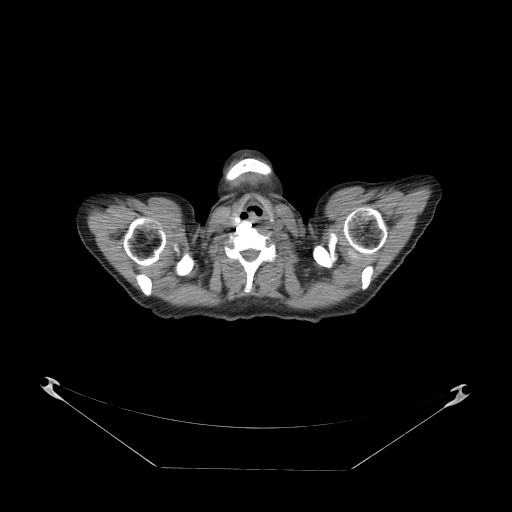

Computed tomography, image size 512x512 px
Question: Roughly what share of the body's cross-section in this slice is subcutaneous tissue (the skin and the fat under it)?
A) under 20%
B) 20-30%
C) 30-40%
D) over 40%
Answer: B) 20-30%
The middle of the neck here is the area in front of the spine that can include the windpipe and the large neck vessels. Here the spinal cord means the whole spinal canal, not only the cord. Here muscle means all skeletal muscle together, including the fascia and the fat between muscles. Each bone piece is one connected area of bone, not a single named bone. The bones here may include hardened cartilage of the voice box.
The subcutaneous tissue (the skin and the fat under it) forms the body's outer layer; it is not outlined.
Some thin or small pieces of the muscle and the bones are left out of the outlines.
The left arm is outlined by [[418,172],[434,173],[442,183],[443,194],[436,207],[433,219],[418,240],[413,250],[405,258],[403,263],[387,281],[385,283],[383,283],[360,267],[353,260],[342,244],[329,211],[328,189],[338,183],[350,180],[375,182],[390,180],[397,177],[405,176]]. The torso appears in 2 outlined pieces: piece 1: [[156,190],[179,194],[187,199],[193,206],[195,216],[200,221],[198,276],[203,294],[212,308],[236,320],[226,321],[205,316],[193,316],[180,319],[160,318],[154,315],[148,309],[138,305],[123,289],[139,272],[154,244],[157,235],[157,214],[152,191]]; piece 2: [[327,189],[328,211],[341,244],[352,260],[360,268],[384,284],[376,295],[365,306],[353,314],[325,318],[317,323],[305,320],[280,319],[276,317],[271,317],[277,312],[286,301],[301,276],[306,252],[306,221],[310,214],[312,213],[317,200]]. The bones appear in 9 outlined pieces: piece 1: [[244,221],[249,221],[263,235],[271,232],[270,240],[267,242],[273,242],[276,250],[275,259],[273,261],[264,261],[255,271],[249,293],[243,290],[247,279],[243,266],[237,260],[230,259],[224,250],[225,241],[229,238],[229,234],[234,232],[237,224]], around a hole outlined by [[250,249],[253,249],[254,250],[257,250],[258,251],[259,251],[259,252],[258,253],[258,254],[257,255],[257,256],[253,260],[250,260],[249,261],[248,260],[246,260],[242,256],[242,255],[241,254],[241,251],[244,251],[245,250],[249,250]]; piece 2: [[141,216],[149,217],[157,221],[160,224],[162,229],[164,231],[165,236],[166,237],[166,243],[163,250],[159,255],[159,259],[153,264],[149,266],[140,266],[137,263],[136,263],[128,256],[123,246],[124,234],[126,232],[129,224],[134,219],[138,218]]; piece 3: [[361,206],[367,206],[368,207],[378,210],[382,215],[382,217],[386,225],[386,230],[387,231],[387,236],[382,246],[375,252],[371,254],[366,254],[365,255],[361,254],[353,245],[349,244],[343,233],[343,225],[346,217],[355,208],[357,207],[360,207]]; piece 4: [[249,157],[251,158],[255,158],[269,165],[272,170],[272,172],[270,174],[267,174],[266,175],[265,174],[262,174],[255,171],[246,171],[241,173],[232,180],[226,180],[225,179],[224,177],[225,174],[232,166],[233,166],[240,160],[244,158],[248,158]]; piece 5: [[330,232],[333,232],[337,237],[337,241],[335,244],[335,252],[337,255],[337,259],[333,264],[332,267],[328,268],[327,267],[320,265],[314,259],[312,255],[312,250],[314,247],[316,246],[319,246],[320,245],[325,248],[327,248],[328,247],[328,237]]; piece 6: [[185,253],[189,253],[192,256],[192,257],[194,259],[194,264],[193,265],[193,267],[192,268],[192,269],[186,275],[184,275],[183,276],[180,276],[179,275],[178,275],[175,271],[175,264],[176,263],[176,262],[178,260],[179,260],[181,258],[181,257]]; piece 7: [[132,273],[144,273],[145,274],[146,274],[150,278],[150,279],[151,280],[151,285],[152,286],[151,287],[152,292],[151,293],[151,295],[150,296],[147,296],[146,295],[145,295],[142,292],[142,291],[141,290],[141,289],[140,288],[135,277]]; piece 8: [[367,265],[372,265],[373,266],[373,272],[372,273],[372,275],[371,276],[371,280],[370,281],[370,283],[369,284],[369,285],[368,286],[368,287],[365,290],[362,290],[361,289],[361,272],[362,271],[362,270],[363,269],[363,268],[364,267],[365,267]]; piece 9: [[260,200],[261,200],[269,208],[269,210],[270,211],[270,212],[271,213],[271,214],[272,215],[272,217],[273,218],[273,221],[271,221],[270,220],[270,216],[269,215],[269,214],[265,210],[265,209],[264,208],[264,205],[263,204],[263,203]]. The muscle appears in 2 outlined pieces: piece 1: [[246,172],[273,174],[274,191],[305,230],[304,250],[328,269],[338,259],[338,237],[330,231],[327,247],[322,245],[323,210],[334,192],[432,186],[432,193],[391,263],[371,283],[374,266],[364,266],[363,291],[336,305],[298,310],[275,298],[243,297],[215,307],[178,307],[151,296],[146,273],[131,273],[141,291],[128,282],[100,251],[86,218],[128,197],[165,197],[181,207],[197,254],[211,214],[224,201],[224,178]]; inner edges: [[250,197],[261,200],[269,208],[273,221],[258,227],[257,231],[263,235],[271,232],[267,242],[275,244],[276,257],[273,261],[264,261],[257,268],[251,291],[246,293],[243,290],[246,272],[237,260],[226,255],[224,246],[229,234],[234,232],[233,214]], then [[141,216],[149,217],[157,221],[160,224],[162,229],[164,231],[165,236],[166,237],[166,243],[163,250],[159,255],[159,259],[153,264],[149,266],[140,266],[137,263],[136,263],[128,256],[123,246],[124,234],[126,232],[129,224],[134,219],[138,218]], then [[361,206],[367,206],[368,207],[378,210],[382,215],[382,217],[386,225],[386,230],[387,231],[387,236],[382,246],[375,252],[371,254],[366,254],[365,255],[361,254],[353,245],[349,244],[343,233],[343,225],[346,217],[355,208],[357,207],[360,207]], then [[185,253],[189,253],[192,256],[192,257],[194,259],[194,264],[193,265],[193,267],[192,268],[192,269],[186,275],[184,275],[183,276],[180,276],[179,275],[178,275],[175,271],[175,264],[176,263],[176,262],[178,260],[179,260],[181,258],[181,257]]; piece 2: [[244,153],[249,153],[250,154],[252,154],[254,156],[258,156],[259,157],[261,157],[264,160],[265,160],[267,162],[267,163],[255,157],[251,157],[250,156],[248,157],[244,157],[240,159],[233,165],[232,165],[225,173],[225,170],[229,163],[234,158]]. The right arm is outlined by [[105,189],[113,190],[114,191],[123,190],[130,194],[151,191],[154,202],[154,207],[156,214],[156,235],[154,238],[153,244],[147,257],[141,265],[138,272],[123,287],[116,282],[85,248],[78,235],[75,223],[75,214],[80,201],[89,193]]. The middle of the neck is outlined by [[250,197],[255,197],[262,203],[264,210],[269,216],[269,220],[272,222],[271,224],[264,227],[258,227],[257,229],[252,225],[249,220],[244,220],[237,223],[234,226],[234,230],[232,229],[234,221],[237,222],[240,220],[239,215],[236,212],[238,208]]. The head and neck is outlined by [[242,148],[259,150],[270,158],[283,184],[284,196],[299,211],[305,222],[305,252],[300,276],[285,301],[270,317],[235,319],[212,307],[204,294],[199,276],[201,222],[205,220],[209,209],[217,199],[215,187],[220,176],[220,169],[223,162],[232,152]]. The spinal cord is outlined by [[250,249],[253,249],[254,250],[257,250],[258,251],[259,251],[259,252],[258,253],[258,254],[257,255],[257,256],[253,260],[250,260],[249,261],[248,260],[246,260],[242,256],[242,255],[241,254],[241,251],[244,251],[245,250],[249,250]].